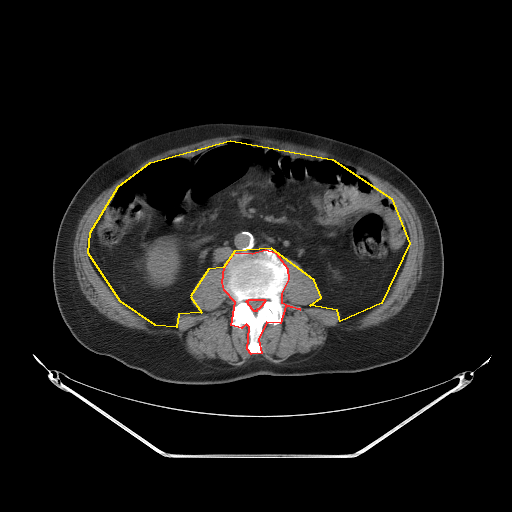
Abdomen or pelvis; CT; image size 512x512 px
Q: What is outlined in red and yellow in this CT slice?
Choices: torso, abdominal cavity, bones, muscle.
A: red: bones; yellow: abdominal cavity.
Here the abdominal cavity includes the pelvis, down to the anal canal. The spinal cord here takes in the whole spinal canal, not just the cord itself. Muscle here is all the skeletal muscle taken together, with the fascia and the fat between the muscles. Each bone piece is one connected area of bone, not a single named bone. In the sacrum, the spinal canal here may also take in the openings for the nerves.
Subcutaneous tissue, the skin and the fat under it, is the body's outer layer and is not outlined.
{"bones":[{"outer":[[265,249],[275,252],[287,268],[288,279],[281,293],[281,302],[300,309],[285,306],[280,323],[266,322],[258,339],[261,353],[251,354],[247,349],[249,327],[246,324],[241,328],[231,325],[235,302],[224,290],[222,282],[224,267],[234,252],[252,253]],"hole":[[249,299],[264,299],[265,300],[264,301],[264,302],[262,304],[262,305],[258,309],[257,309],[256,310],[256,311],[254,311],[251,308],[251,307],[248,304],[248,303],[246,301],[247,300],[248,300]]}],"abdominal_cavity":[[[230,140],[332,159],[391,198],[409,243],[381,303],[340,321],[337,310],[310,305],[321,297],[314,280],[271,248],[234,251],[223,267],[208,269],[190,296],[201,312],[178,314],[176,327],[155,325],[120,301],[88,253],[90,232],[118,186],[150,162]]],"torso":[[[210,120],[265,122],[329,135],[378,153],[414,181],[438,222],[444,275],[434,320],[411,354],[358,372],[260,374],[223,384],[198,385],[153,378],[110,356],[90,351],[75,339],[59,312],[52,279],[57,231],[72,197],[101,163],[134,141],[167,128]]],"muscle":[{"outer":[[227,135],[261,137],[266,139],[285,141],[294,144],[298,144],[301,146],[304,146],[307,148],[315,150],[327,151],[331,155],[334,155],[340,159],[349,161],[389,182],[397,188],[408,199],[414,207],[421,222],[423,231],[423,237],[424,238],[424,252],[423,253],[420,280],[417,282],[415,289],[407,302],[395,315],[377,325],[374,325],[360,330],[347,331],[346,330],[342,330],[338,327],[331,327],[329,329],[328,335],[324,344],[319,349],[315,351],[314,350],[311,351],[305,354],[292,355],[286,360],[280,363],[274,363],[268,361],[266,359],[256,359],[254,357],[250,361],[238,366],[234,366],[228,364],[220,359],[203,359],[201,361],[199,361],[195,359],[186,351],[184,346],[184,341],[180,339],[176,335],[161,335],[160,334],[153,335],[142,330],[132,329],[126,327],[109,319],[100,313],[95,307],[91,305],[81,291],[76,276],[76,271],[73,259],[73,244],[76,230],[79,221],[87,208],[116,178],[127,172],[137,164],[139,165],[142,162],[156,155],[172,149],[187,146],[210,139],[220,138]],"hole":[[230,140],[332,159],[391,198],[409,243],[381,303],[340,321],[310,305],[320,290],[284,256],[280,299],[300,309],[266,322],[251,354],[249,327],[231,325],[223,267],[199,278],[190,300],[201,312],[178,314],[176,327],[120,301],[88,253],[118,186]]}],"spinal_cord":[[[249,299],[264,299],[265,300],[264,301],[264,302],[262,304],[262,305],[258,309],[257,309],[256,310],[256,311],[254,311],[251,308],[251,307],[248,304],[248,303],[246,301],[247,300],[248,300]]]}